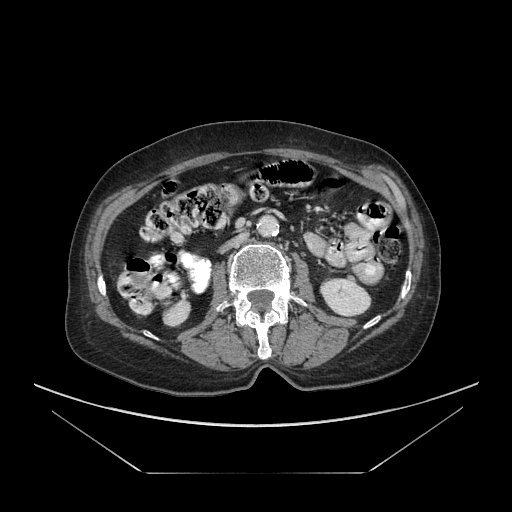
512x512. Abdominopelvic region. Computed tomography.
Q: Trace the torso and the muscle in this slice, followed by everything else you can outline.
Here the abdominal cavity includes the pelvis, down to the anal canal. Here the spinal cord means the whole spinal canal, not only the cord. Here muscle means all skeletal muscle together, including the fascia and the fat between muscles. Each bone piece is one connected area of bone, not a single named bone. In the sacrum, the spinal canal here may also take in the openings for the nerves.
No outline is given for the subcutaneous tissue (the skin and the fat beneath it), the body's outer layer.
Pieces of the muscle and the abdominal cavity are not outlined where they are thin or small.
A: torso: 243 119; 300 122; 366 140; 395 157; 414 181; 439 234; 441 292; 429 335; 405 369; 351 387; 301 391; 266 367; 247 389; 176 396; 106 373; 80 360; 70 348; 64 330; 68 253; 80 211; 98 179; 125 155; 164 136; 200 124
muscle: 278 147; 313 151; 354 166; 377 163; 391 169; 405 185; 420 217; 425 250; 415 293; 399 321; 341 357; 310 369; 268 359; 272 356; 269 328; 288 322; 291 301; 308 306; 291 291; 296 273; 292 252; 307 264; 320 306; 335 316; 364 323; 363 330; 376 325; 398 296; 403 300; 412 283; 407 232; 387 198; 325 164; 269 153; 228 156; 159 182; 111 223; 102 249; 102 273; 96 277; 98 292; 107 295; 117 316; 158 342; 202 321; 212 299; 212 273; 224 262; 232 299; 224 299; 214 309; 232 307; 235 324; 255 330; 258 360; 235 372; 185 362; 123 337; 96 314; 87 292; 84 246; 91 219; 106 197; 199 155; inner edge: 382 173; 388 176; 396 184; 396 185; 399 188; 405 200; 405 204; 406 205; 406 208; 405 209; 403 209; 401 207; 400 207; 400 206; 396 201; 386 181; 381 175
spinal cord: 255 290; 268 290; 269 291; 271 291; 273 293; 273 297; 270 301; 270 308; 268 310; 265 310; 264 311; 257 311; 253 308; 253 307; 252 306; 252 303; 248 299; 248 297; 247 296; 247 295; 249 292; 251 292; 252 291; 254 291
bones 1: 259 242; 281 251; 290 269; 290 291; 307 303; 302 306; 291 300; 287 322; 277 322; 268 328; 271 356; 267 359; 257 355; 256 330; 237 325; 232 306; 222 311; 215 309; 234 297; 228 287; 228 277; 236 252; 247 244, around a hole outlined by 255 290; 268 290; 269 291; 271 291; 273 293; 273 297; 270 301; 270 308; 268 310; 265 310; 264 311; 257 311; 253 308; 253 307; 252 306; 252 303; 248 299; 248 297; 247 296; 247 295; 249 292; 251 292; 252 291; 254 291
bones 2: 382 173; 388 176; 396 184; 396 185; 399 188; 405 200; 405 204; 406 205; 406 208; 405 209; 403 209; 401 207; 400 207; 400 206; 396 201; 386 181; 381 175
bones 3: 407 267; 409 267; 411 271; 411 283; 410 284; 410 289; 409 291; 407 293; 405 297; 403 299; 402 299; 399 297; 399 294; 400 293; 400 290; 401 289; 401 286; 402 285; 402 283; 404 280; 404 273
bones 4: 100 274; 102 274; 102 275; 103 276; 103 279; 104 280; 104 281; 105 282; 105 286; 106 287; 106 296; 105 297; 104 296; 103 296; 99 292; 99 290; 98 289; 98 287; 97 286; 97 277
bones 5: 377 314; 381 314; 381 318; 379 320; 379 321; 376 324; 375 324; 374 325; 373 325; 371 327; 370 327; 369 328; 368 328; 367 329; 363 329; 362 328; 362 326; 368 320; 369 320; 372 317; 373 317; 375 315; 376 315
bones 6: 142 329; 146 329; 147 330; 148 330; 150 332; 151 332; 153 334; 154 334; 156 336; 157 336; 159 338; 159 340; 158 341; 157 340; 155 340; 152 338; 150 338; 149 337; 144 335; 142 333; 142 332; 141 331; 141 330
abdominal cavity: 255 154; 325 165; 391 203; 408 243; 394 303; 365 322; 330 313; 316 298; 306 261; 290 253; 291 289; 286 257; 259 241; 235 252; 227 282; 225 262; 215 265; 209 307; 196 325; 160 337; 121 319; 103 275; 117 216; 181 173